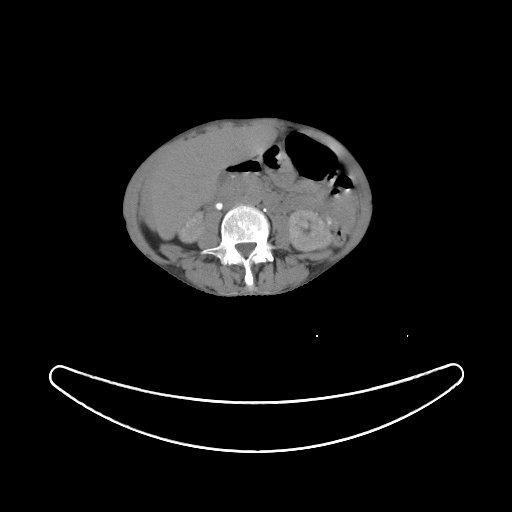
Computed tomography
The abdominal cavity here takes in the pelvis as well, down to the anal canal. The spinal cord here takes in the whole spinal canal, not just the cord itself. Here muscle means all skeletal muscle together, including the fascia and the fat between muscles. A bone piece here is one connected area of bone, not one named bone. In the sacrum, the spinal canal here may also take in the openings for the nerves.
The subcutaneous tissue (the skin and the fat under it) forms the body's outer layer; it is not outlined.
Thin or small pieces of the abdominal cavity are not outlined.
{"torso":[[[254,116],[276,116],[308,124],[326,131],[341,141],[355,155],[368,177],[373,193],[373,217],[359,245],[339,263],[306,285],[280,295],[221,297],[186,285],[138,251],[130,241],[124,226],[121,213],[122,196],[136,166],[154,148],[173,135],[216,118]]],"abdominal_cavity":[[[256,125],[301,132],[343,161],[357,185],[356,219],[343,241],[319,251],[295,252],[287,216],[276,214],[270,223],[262,209],[238,203],[223,216],[215,209],[205,213],[196,238],[199,249],[173,243],[154,247],[141,226],[140,201],[166,158],[202,134]]],"spinal_cord":[[[240,243],[254,243],[255,244],[255,245],[254,246],[254,247],[253,248],[253,249],[249,253],[249,254],[246,257],[245,257],[244,256],[243,256],[238,251],[238,250],[236,248],[236,245],[237,244],[239,244]]],"bones":[{"outer":[[238,204],[251,205],[264,212],[270,224],[268,241],[274,246],[272,250],[272,261],[251,264],[250,268],[253,285],[250,289],[245,283],[245,270],[241,264],[224,265],[216,256],[209,253],[201,253],[202,250],[215,247],[220,243],[221,221],[225,213]],"hole":[[240,243],[254,243],[255,244],[255,245],[254,246],[254,247],[253,248],[253,249],[249,253],[249,254],[246,257],[245,257],[244,256],[243,256],[238,251],[238,250],[236,248],[236,245],[237,244],[239,244]]}],"muscle":[{"outer":[[262,120],[278,121],[279,122],[282,122],[289,126],[293,126],[296,128],[300,128],[303,130],[311,132],[314,134],[321,136],[327,140],[332,142],[335,144],[338,148],[344,152],[358,168],[365,181],[365,183],[368,190],[369,202],[370,203],[370,213],[369,214],[368,221],[366,224],[365,228],[363,230],[361,235],[357,241],[349,249],[348,249],[339,257],[333,261],[320,263],[312,268],[309,275],[301,283],[295,286],[292,286],[289,288],[287,288],[280,291],[277,291],[276,292],[254,292],[253,291],[244,291],[243,292],[241,292],[239,291],[235,293],[220,293],[219,292],[216,292],[213,290],[207,289],[204,287],[200,287],[188,280],[184,276],[182,272],[178,270],[174,266],[169,264],[163,264],[156,261],[137,243],[129,229],[129,226],[125,215],[125,199],[126,198],[126,195],[127,194],[129,186],[135,174],[138,171],[141,166],[156,151],[166,144],[193,130],[198,129],[209,124],[218,123],[223,121],[231,121],[237,124],[239,124],[240,123],[248,123],[249,122],[261,121]],"hole":[[256,125],[298,131],[326,145],[355,179],[357,213],[343,241],[311,252],[293,251],[288,217],[272,216],[273,260],[251,264],[250,289],[241,264],[201,253],[221,241],[221,211],[205,213],[199,249],[154,247],[141,226],[140,201],[148,180],[182,144]]}]}